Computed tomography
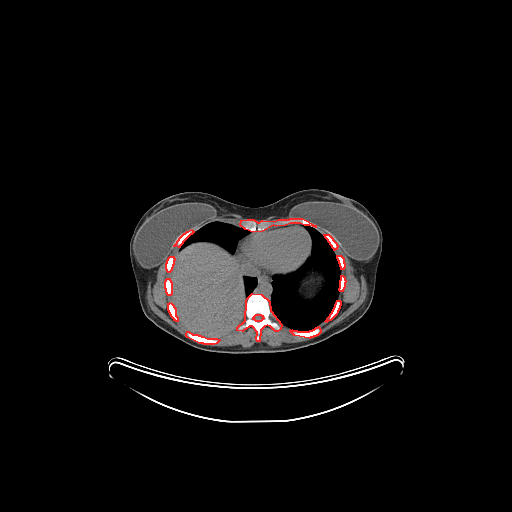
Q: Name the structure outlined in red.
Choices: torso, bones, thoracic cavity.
A: red: bones.
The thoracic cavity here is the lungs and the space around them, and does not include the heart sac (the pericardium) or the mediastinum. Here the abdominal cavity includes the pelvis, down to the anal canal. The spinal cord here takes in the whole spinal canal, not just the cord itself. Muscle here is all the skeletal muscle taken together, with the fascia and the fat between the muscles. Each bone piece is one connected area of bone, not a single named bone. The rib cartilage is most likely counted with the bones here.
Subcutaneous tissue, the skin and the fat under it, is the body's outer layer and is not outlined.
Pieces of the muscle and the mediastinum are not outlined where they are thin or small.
Outlines (x, y in pixels):
bones 1: (252, 293) (261, 294) (269, 301) (270, 310) (281, 324) (280, 329) (277, 331) (275, 331) (270, 326) (267, 325) (264, 326) (260, 330) (259, 341) (257, 341) (256, 339) (257, 332) (252, 326) (249, 326) (242, 331) (237, 330) (237, 327) (245, 320) (246, 301) (247, 298), around a hole outlined by (256, 314) (257, 314) (258, 314) (259, 314) (260, 314) (261, 315) (262, 315) (262, 316) (263, 317) (263, 318) (262, 319) (261, 320) (260, 321) (259, 321) (258, 321) (257, 321) (256, 321) (255, 320) (254, 319) (253, 319) (253, 318) (253, 317) (254, 316) (255, 315)
bones 2: (290, 218) (302, 218) (315, 225) (315, 227) (309, 225) (304, 225) (300, 223) (290, 223) (285, 225) (276, 226) (273, 225) (262, 231) (253, 232) (245, 229) (240, 225) (241, 220) (247, 219) (253, 219) (257, 222) (259, 222) (262, 220) (274, 221) (278, 219) (289, 219)
bones 3: (187, 331) (188, 331) (192, 334) (197, 334) (198, 335) (200, 335) (201, 336) (203, 336) (207, 338) (217, 338) (219, 339) (219, 340) (216, 343) (214, 344) (204, 344) (203, 343) (199, 343) (187, 337) (186, 336) (186, 333)
bones 4: (318, 326) (320, 329) (320, 332) (317, 335) (316, 335) (315, 336) (313, 336) (312, 337) (310, 337) (309, 338) (294, 335) (290, 331) (290, 330) (291, 329) (292, 330) (296, 330) (297, 331) (309, 331) (310, 330) (312, 330) (313, 329) (314, 329) (316, 327) (317, 327)
bones 5: (191, 229) (193, 231) (193, 232) (191, 234) (190, 234) (182, 242) (182, 243) (179, 246) (179, 247) (176, 245) (175, 245) (174, 246) (174, 245) (177, 242) (177, 241) (179, 239) (179, 238) (184, 233) (185, 233) (187, 231) (188, 231)
bones 6: (337, 300) (339, 300) (340, 301) (340, 305) (339, 306) (339, 308) (338, 309) (338, 310) (337, 311) (336, 314) (330, 320) (329, 320) (326, 322) (325, 321) (327, 319) (327, 318) (330, 315) (330, 314) (332, 312) (332, 311) (335, 306) (335, 304) (336, 303)
bones 7: (170, 302) (173, 305) (173, 306) (175, 308) (175, 315) (177, 317) (177, 321) (176, 321) (175, 320) (174, 320) (174, 319) (171, 316) (171, 315) (170, 314) (170, 313) (169, 312) (169, 311) (168, 310) (168, 303) (169, 303)
bones 8: (170, 256) (173, 256) (173, 257) (174, 258) (174, 260) (173, 261) (173, 264) (172, 265) (172, 267) (171, 268) (171, 270) (169, 272) (168, 272) (167, 271) (167, 270) (166, 269) (166, 263) (167, 262) (167, 260) (168, 259) (168, 258)
bones 9: (167, 278) (169, 278) (169, 279) (170, 280) (170, 281) (171, 282) (171, 294) (170, 295) (168, 295) (167, 294) (167, 293) (166, 292) (166, 289) (165, 288) (165, 281) (166, 280) (166, 279)
bones 10: (324, 234) (328, 234) (332, 238) (332, 239) (336, 243) (336, 244) (337, 245) (337, 247) (336, 248) (336, 249) (335, 249) (334, 250) (334, 249) (332, 247) (332, 246) (330, 244) (330, 243) (328, 241) (328, 240) (325, 237) (325, 236) (324, 235)
bones 11: (341, 275) (342, 275) (344, 277) (344, 279) (345, 280) (345, 282) (344, 283) (344, 287) (343, 288) (343, 289) (342, 290) (342, 291) (340, 291) (339, 290) (339, 288) (340, 287) (340, 280) (341, 279)
bones 12: (337, 255) (340, 255) (343, 258) (343, 262) (344, 263) (344, 267) (343, 268) (343, 269) (341, 269) (341, 267) (340, 266) (340, 264) (339, 263) (339, 261) (338, 260) (338, 259) (337, 258)
pericardium: (286, 226) (301, 227) (307, 232) (310, 240) (309, 253) (301, 265) (295, 270) (287, 273) (272, 274) (267, 272) (266, 273) (261, 269) (252, 269) (246, 267) (240, 261) (240, 258) (237, 255) (241, 242) (250, 236) (260, 232) (265, 232) (268, 230) (273, 230) (276, 228)
torso: (310, 188) (328, 190) (358, 201) (368, 209) (380, 226) (383, 242) (373, 298) (367, 311) (355, 323) (321, 342) (298, 349) (269, 353) (220, 353) (192, 347) (160, 329) (145, 316) (130, 262) (129, 243) (138, 220) (152, 205) (176, 193) (198, 191) (240, 205) (257, 207)
muscle 1: (337, 243) (351, 262) (354, 273) (357, 276) (361, 274) (364, 276) (367, 294) (357, 309) (318, 335) (321, 332) (319, 326) (337, 314) (341, 305) (338, 296) (345, 287) (346, 280) (341, 274) (345, 267) (344, 258) (340, 254) (336, 255) (334, 251) (338, 247)
muscle 2: (282, 324) (289, 328) (289, 331) (294, 336) (309, 339) (304, 341) (292, 343) (284, 342) (278, 346) (270, 346) (264, 342) (258, 342) (249, 347) (243, 347) (241, 345) (209, 345) (216, 344) (220, 340) (218, 338) (221, 338) (231, 333) (236, 328) (238, 332) (242, 332) (249, 327) (252, 327) (255, 330) (255, 339) (257, 342) (259, 342) (261, 339) (261, 330) (264, 327) (270, 327) (275, 332) (277, 332) (281, 329)
muscle 3: (175, 246) (178, 247) (175, 257) (170, 255) (165, 263) (165, 269) (169, 273) (169, 277) (164, 281) (164, 288) (171, 299) (171, 302) (167, 303) (167, 310) (173, 320) (186, 330) (185, 336) (155, 314) (150, 309) (146, 298) (148, 282) (153, 283) (155, 281) (159, 266)
muscle 4: (230, 213) (232, 213) (233, 214) (238, 214) (244, 218) (247, 218) (246, 219) (241, 219) (239, 221) (239, 225) (240, 226) (229, 222) (226, 222) (225, 221) (212, 220) (205, 223) (194, 231) (192, 229) (204, 223) (206, 221) (212, 218) (214, 218) (219, 215) (226, 215)
muscle 5: (316, 226) (317, 226) (318, 227) (319, 227) (320, 228) (321, 228) (322, 229) (323, 230) (324, 231) (325, 231) (326, 232) (327, 233) (326, 233) (325, 233) (324, 233) (323, 234) (322, 233) (321, 232) (320, 232) (319, 231) (318, 230) (317, 229) (316, 228) (316, 227)
thoracic cavity 1: (304, 226) (315, 228) (324, 236) (333, 249) (341, 270) (338, 288) (339, 292) (329, 315) (324, 321) (312, 329) (297, 330) (284, 325) (278, 320) (271, 310) (270, 299) (273, 290) (272, 287) (273, 275) (287, 274) (295, 271) (302, 265) (311, 253) (312, 244) (311, 236), around a hole outlined by (312, 269) (314, 269) (321, 272) (321, 273) (323, 274) (325, 282) (323, 285) (323, 287) (315, 296) (315, 297) (314, 297) (313, 299) (307, 300) (300, 297) (298, 295) (297, 293) (297, 288) (298, 287) (298, 282) (299, 280) (303, 276) (304, 276) (305, 274) (306, 274)
thoracic cavity 2: (244, 275) (255, 278) (256, 284) (252, 292) (246, 298) (244, 307) (244, 318) (242, 322) (231, 332) (221, 337) (207, 337) (197, 333) (192, 333) (182, 327) (176, 315) (177, 309) (189, 316) (215, 324) (220, 324) (228, 321) (235, 313) (239, 300) (244, 293) (243, 278)
thoracic cavity 3: (212, 221) (220, 221) (221, 222) (229, 223) (249, 231) (248, 234) (243, 236) (238, 240) (234, 253) (230, 253) (227, 249) (213, 241) (206, 241) (205, 240) (194, 241) (189, 243) (181, 249) (180, 248) (180, 246) (183, 242) (190, 235) (205, 224)
abdominal cavity 1: (202, 241) (213, 242) (227, 250) (230, 254) (237, 254) (239, 261) (245, 266) (245, 274) (242, 276) (243, 293) (238, 300) (236, 309) (228, 320) (220, 323) (207, 321) (189, 315) (178, 308) (176, 309) (170, 296) (172, 294) (170, 272) (179, 248) (181, 250) (189, 244)
abdominal cavity 2: (312, 269) (314, 269) (321, 272) (321, 273) (323, 274) (325, 282) (323, 285) (323, 287) (315, 296) (315, 297) (314, 297) (313, 299) (307, 300) (300, 297) (298, 295) (297, 293) (297, 288) (298, 287) (298, 282) (299, 280) (303, 276) (304, 276) (305, 274) (306, 274)
breast implant 1: (304, 201) (327, 201) (328, 202) (343, 203) (364, 213) (374, 223) (379, 231) (379, 243) (378, 244) (378, 247) (377, 250) (369, 259) (369, 261) (366, 262) (365, 261) (357, 260) (347, 255) (334, 238) (321, 227) (302, 217) (289, 217) (288, 213) (290, 209) (294, 205)
breast implant 2: (184, 202) (205, 202) (208, 203) (217, 209) (217, 214) (218, 215) (212, 217) (184, 232) (178, 238) (169, 251) (168, 254) (163, 259) (160, 264) (151, 268) (147, 269) (144, 268) (137, 262) (135, 258) (135, 254) (133, 249) (135, 234) (150, 216) (170, 205) (174, 205)
mediastinum 1: (246, 268) (249, 268) (252, 270) (261, 270) (263, 272) (265, 272) (266, 274) (267, 273) (272, 275) (271, 278) (271, 287) (272, 290) (271, 291) (271, 294) (269, 300) (263, 294) (258, 292) (253, 292) (253, 290) (257, 284) (257, 279) (253, 276) (247, 275) (246, 274)
mediastinum 2: (250, 232) (252, 232) (253, 233) (255, 232) (259, 232) (255, 233) (252, 235) (250, 235) (248, 237) (241, 241) (239, 243) (239, 245) (237, 249) (237, 253) (235, 253) (235, 251) (236, 250) (236, 248) (237, 247) (239, 240) (240, 240) (243, 237) (248, 235)
spinal cord: (256, 314) (257, 314) (258, 314) (259, 314) (260, 314) (261, 315) (262, 315) (262, 316) (263, 317) (263, 318) (262, 319) (261, 320) (260, 321) (259, 321) (258, 321) (257, 321) (256, 321) (255, 320) (254, 319) (253, 319) (253, 318) (253, 317) (254, 316) (255, 315)